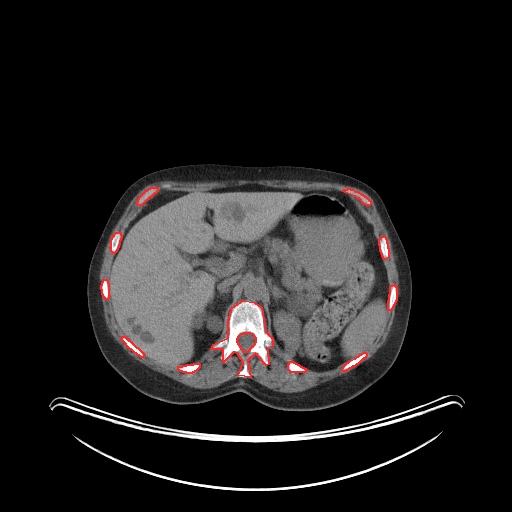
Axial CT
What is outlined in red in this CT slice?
red: bones.
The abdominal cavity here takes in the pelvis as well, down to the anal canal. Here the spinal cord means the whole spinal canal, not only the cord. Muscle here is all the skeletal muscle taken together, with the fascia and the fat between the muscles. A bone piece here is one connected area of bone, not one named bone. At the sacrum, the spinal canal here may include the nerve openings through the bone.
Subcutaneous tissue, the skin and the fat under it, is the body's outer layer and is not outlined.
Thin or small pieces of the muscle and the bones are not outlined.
The bones appear in 11 outlined pieces: piece 1: 243,300 254,302 261,307 265,331 272,338 272,346 267,348 268,364 266,365 255,353 247,360 250,377 238,375 243,362 237,353 233,352 223,362 223,349 211,349 213,344 228,337 228,320 232,307, around a hole outlined by 244,332 249,332 250,333 253,334 253,335 255,337 255,342 254,343 254,344 249,349 249,350 247,352 244,352 241,349 240,346 238,344 238,343 237,342 237,338 238,337 238,336 241,333 243,333; piece 2: 151,187 157,187 157,191 155,193 154,193 150,197 149,197 148,198 148,199 147,199 141,205 138,205 137,204 137,201 138,200 138,199 139,198 139,197 146,190 147,190 149,188 150,188; piece 3: 364,352 365,352 366,353 366,356 364,358 363,358 357,364 356,364 354,366 352,366 350,368 349,368 345,371 343,371 342,370 344,365 347,362 348,362 350,360 355,358 357,356 358,356 360,354 361,354; piece 4: 348,188 349,188 350,189 352,189 355,191 357,191 361,194 362,194 364,196 365,196 370,201 370,204 369,205 366,205 365,204 364,204 359,198 357,198 355,196 345,192 343,190 343,189 347,189; piece 5: 381,236 384,236 385,237 385,238 386,239 386,242 387,243 387,247 388,248 388,257 385,259 384,259 383,258 383,257 382,256 382,254 380,251 380,246 379,245 379,239 381,237; piece 6: 393,284 394,285 395,285 395,286 396,287 396,300 395,301 395,302 394,303 394,304 393,305 393,306 392,307 392,308 390,310 389,310 388,309 388,300 389,299 389,294 390,293 390,286 391,285 392,285; piece 7: 194,363 198,363 199,364 199,367 195,371 194,371 193,372 192,372 191,373 187,373 186,372 183,372 182,371 180,371 178,369 178,366 182,366 183,365 186,365 187,364 193,364; piece 8: 116,232 119,232 120,233 120,234 121,235 121,238 120,239 120,240 119,241 119,244 118,245 118,247 117,248 117,249 116,250 116,251 114,253 113,253 111,251 111,239 112,238 112,237 114,235 114,234; piece 9: 122,336 124,336 126,338 127,338 127,339 128,340 129,340 136,347 137,347 144,354 144,355 142,357 141,357 139,355 138,355 136,353 135,353 131,349 130,349 122,340 122,339 121,338 121,337; piece 10: 290,361 292,361 293,362 294,362 295,363 296,363 297,364 298,364 300,366 301,366 302,367 303,367 304,368 305,368 306,369 306,370 304,372 291,372 288,369 288,364 289,363 289,362; piece 11: 104,279 106,279 107,280 107,282 108,283 108,294 109,295 108,296 108,298 107,299 105,299 105,298 103,296 103,295 102,294 102,290 101,289 101,285 102,284 102,282 103,281 103,280. The torso is outlined by 199,163 331,170 355,177 378,193 405,249 412,281 405,337 395,361 379,380 350,400 310,411 276,409 243,392 202,403 176,404 140,392 107,362 93,333 86,294 88,268 102,230 121,195 137,179 163,168. The spinal cord is outlined by 244,332 249,332 250,333 253,334 253,335 255,337 255,342 254,343 254,344 249,349 249,350 247,352 244,352 241,349 240,346 238,344 238,343 237,342 237,338 238,337 238,336 241,333 243,333. The abdominal cavity is outlined by 247,184 333,190 354,201 378,241 389,286 383,323 365,351 331,369 308,369 276,343 265,328 262,307 248,299 231,307 227,325 193,363 162,363 126,337 114,317 108,281 122,236 146,201 164,191 208,191. The muscle appears in 2 outlined pieces: piece 1: 165,180 170,180 171,181 183,181 184,182 197,182 198,181 200,182 203,181 226,181 227,180 301,180 302,181 319,181 320,182 339,183 348,186 352,186 366,192 372,198 390,237 393,252 395,255 395,263 396,264 396,268 398,272 398,278 399,279 399,295 397,299 396,312 394,316 394,320 391,326 389,334 384,344 382,345 370,358 359,364 347,374 338,376 329,381 319,384 306,390 300,392 292,392 291,393 276,392 261,385 253,380 250,379 244,379 243,381 241,381 242,380 239,378 231,379 222,383 216,387 213,387 212,388 208,388 207,389 194,388 185,385 182,383 180,383 157,371 151,369 129,355 115,340 107,327 107,325 105,322 104,313 103,312 103,305 101,301 101,294 100,293 99,272 103,259 104,250 106,244 109,239 109,236 111,234 113,228 117,223 129,202 133,197 145,186 158,181 164,181 with holes at 247,184 341,192 354,201 376,239 385,237 388,257 383,261 388,285 396,287 396,300 365,350 366,356 347,370 342,370 344,362 322,371 307,368 304,372 291,372 288,364 292,356 273,338 272,346 267,348 268,364 255,353 247,360 250,377 238,375 243,362 237,353 233,352 222,361 221,347 210,347 195,362 199,367 187,373 175,364 162,363 145,353 141,357 122,340 124,332 114,317 110,296 105,299 101,285 104,279 110,278 114,257 111,239 116,232 122,236 142,209 144,204 137,204 139,197 151,187 157,187 153,197 164,191 208,191 and at 348,188 349,188 350,189 352,189 355,191 357,191 361,194 362,194 364,196 365,196 370,201 370,204 369,205 366,205 365,204 364,204 359,198 357,198 355,196 345,192 343,190 343,189 347,189; piece 2: 226,323 226,325 228,328 228,334 227,335 227,337 224,337 223,338 222,338 220,340 219,340 217,342 215,342 216,341 216,340 221,335 221,334 223,332 223,331 224,330 224,328 225,327 225,325 226,324.